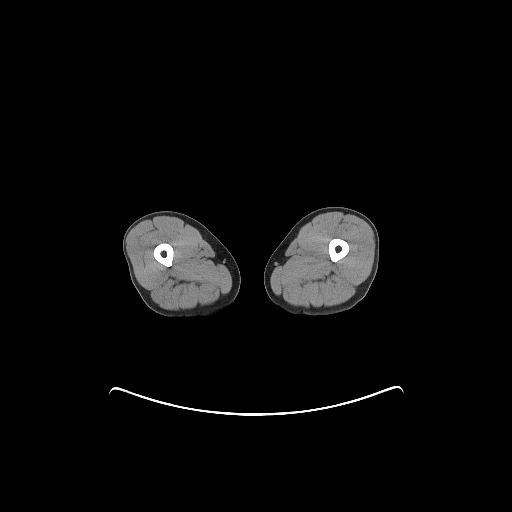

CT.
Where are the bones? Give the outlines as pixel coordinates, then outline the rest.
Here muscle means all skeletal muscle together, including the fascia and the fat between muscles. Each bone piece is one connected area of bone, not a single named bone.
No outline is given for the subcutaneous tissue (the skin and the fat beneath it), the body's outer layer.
The bones appear in 2 outlined pieces: piece 1: (333, 238) (340, 238) (341, 239) (343, 239) (345, 240) (348, 243) (349, 245) (349, 250) (347, 254) (344, 257) (343, 257) (341, 259) (340, 259) (336, 262) (333, 262) (330, 259) (330, 257) (328, 253) (328, 244) (329, 243) (329, 241); piece 2: (160, 243) (168, 243) (172, 247) (172, 248) (173, 249) (173, 258) (172, 259) (172, 263) (170, 266) (165, 266) (164, 265) (163, 265) (161, 263) (160, 263) (158, 261) (157, 261) (154, 258) (154, 257) (153, 256) (153, 249) (155, 247) (155, 246) (156, 246). The muscle appears in 2 outlined pieces: piece 1: (333, 210) (342, 210) (354, 213) (363, 217) (371, 223) (374, 233) (374, 242) (375, 243) (374, 257) (371, 271) (355, 293) (343, 304) (335, 308) (327, 309) (297, 309) (284, 302) (271, 290) (268, 279) (268, 272) (281, 251) (294, 236) (295, 233) (305, 223) (316, 215); inner edge: (333, 238) (340, 238) (341, 239) (343, 239) (345, 240) (348, 243) (349, 245) (349, 250) (347, 254) (344, 257) (343, 257) (341, 259) (340, 259) (336, 262) (333, 262) (330, 259) (330, 257) (328, 253) (328, 244) (329, 243) (329, 241); piece 2: (159, 214) (172, 214) (185, 220) (190, 225) (195, 227) (200, 232) (202, 237) (224, 261) (231, 275) (232, 289) (220, 300) (197, 309) (185, 311) (165, 310) (158, 306) (152, 300) (138, 282) (134, 274) (132, 263) (126, 252) (126, 239) (129, 232) (134, 226) (151, 216), around a hole outlined by (160, 243) (168, 243) (172, 247) (172, 248) (173, 249) (173, 258) (172, 259) (172, 263) (170, 266) (165, 266) (164, 265) (163, 265) (161, 263) (160, 263) (158, 261) (157, 261) (154, 258) (154, 257) (153, 256) (153, 249) (155, 247) (155, 246) (156, 246). The left leg is outlined by (327, 206) (343, 206) (354, 209) (367, 216) (373, 222) (377, 229) (379, 237) (379, 261) (376, 275) (366, 295) (353, 307) (348, 310) (335, 314) (320, 315) (319, 316) (290, 314) (275, 305) (268, 297) (263, 281) (264, 268) (272, 252) (293, 225) (299, 219) (313, 210). The right leg is outlined by (160, 210) (177, 211) (196, 219) (213, 233) (224, 244) (234, 257) (240, 272) (241, 283) (239, 291) (234, 301) (225, 310) (215, 315) (207, 317) (168, 317) (156, 313) (150, 309) (142, 300) (130, 279) (128, 266) (122, 250) (122, 239) (125, 230) (134, 220) (150, 212).